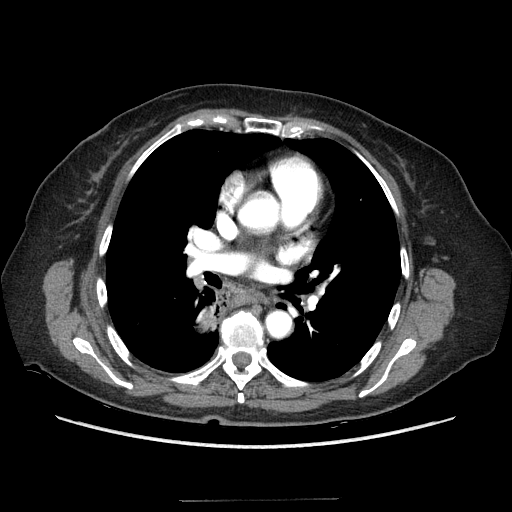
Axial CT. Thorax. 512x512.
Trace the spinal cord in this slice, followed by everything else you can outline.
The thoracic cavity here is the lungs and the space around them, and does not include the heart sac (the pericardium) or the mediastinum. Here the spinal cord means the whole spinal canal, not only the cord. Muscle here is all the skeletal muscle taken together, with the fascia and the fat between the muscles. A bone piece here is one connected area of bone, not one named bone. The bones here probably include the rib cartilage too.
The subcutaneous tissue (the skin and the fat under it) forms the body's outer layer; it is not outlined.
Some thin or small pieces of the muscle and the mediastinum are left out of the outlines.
The spinal cord is outlined by 239,352 244,352 245,353 246,353 247,354 248,354 250,356 250,362 248,364 247,364 243,368 239,368 238,367 237,367 237,366 234,363 234,362 233,361 233,356 235,354 236,354 237,353 238,353. The mediastinum appears in 3 outlined pieces: piece 1: 213,224 209,249 230,275 270,285 297,270 291,279 277,286 283,302 277,305 287,308 294,318 295,328 289,337 266,345 264,328 249,310 239,309 222,319 225,305 222,280 202,258 202,252 208,245 208,231; piece 2: 324,175 328,180 334,194 334,209 330,221 326,228 326,230 320,239 321,229 324,222 327,219 332,209 331,206 328,206 330,199 329,198 330,197 329,196 330,195 330,189 328,186 328,182 326,180 326,178; piece 3: 282,143 288,148 291,149 277,149 274,151 270,151 257,161 255,161 253,163 251,163 244,167 246,164 249,162 251,162 253,160 255,160 256,158 260,156 263,153 272,150 275,148 277,148 280,146. The muscle is outlined by 200,108 238,108 249,112 258,113 264,116 282,116 286,114 293,114 303,117 314,118 326,122 343,130 352,136 392,175 399,187 402,202 406,209 406,220 409,228 409,237 412,247 414,279 416,281 420,278 424,272 423,270 424,268 435,267 440,268 449,273 455,281 453,316 449,324 445,328 445,331 441,339 435,344 435,347 433,349 427,352 427,359 421,369 415,375 407,381 377,395 367,396 355,400 336,400 314,409 299,412 280,412 249,407 243,404 236,404 233,406 222,407 212,406 211,407 183,408 176,405 168,404 158,399 155,396 128,395 120,388 117,388 93,378 81,370 73,362 63,357 58,352 56,347 52,343 45,321 45,296 42,291 42,283 45,273 54,262 69,258 73,262 75,269 75,277 76,278 77,277 79,272 86,266 91,256 97,221 113,187 116,176 123,164 146,141 158,133 169,122 180,115, around holes outlined by 207,113 319,125 322,131 309,133 357,150 388,186 409,275 397,287 393,329 383,325 379,352 357,376 351,378 356,364 334,378 286,387 264,370 244,385 244,402 238,403 237,385 220,367 197,385 178,383 167,379 176,373 133,356 130,367 113,348 106,333 113,322 96,291 97,277 106,278 106,258 99,256 103,232 116,218 140,155 175,124 and by 76,336 88,341 91,345 93,351 98,357 111,369 113,373 120,379 124,381 128,381 130,382 133,385 133,388 132,389 129,389 126,387 117,384 108,375 90,354 82,353 79,351 76,348 72,341 73,338 and by 406,338 412,338 414,339 416,341 415,346 408,353 400,356 395,360 391,366 391,368 387,375 386,379 380,385 365,396 359,397 358,394 361,390 363,389 368,389 377,382 382,376 388,363 397,352 402,342. The pericardium is outlined by 277,150 297,151 315,164 327,182 329,189 327,206 331,209 322,224 319,239 309,262 291,274 266,284 240,279 230,274 228,268 212,253 210,248 212,247 212,231 218,209 219,194 227,176 234,170 245,168. The torso is outlined by 218,82 302,90 337,98 445,154 457,167 480,211 511,248 508,297 493,350 389,412 287,427 220,426 215,420 197,424 136,414 94,400 36,365 26,366 8,321 1,275 43,178 82,139 121,112 176,88. The thoracic cavity is outlined by 202,126 329,138 379,184 401,278 386,323 343,374 307,381 267,354 296,328 278,286 310,263 335,209 319,166 283,142 219,190 201,252 223,289 213,356 186,372 160,370 114,327 105,256 124,192 158,147. The bones appear in 11 outlined pieces: piece 1: 239,310 249,311 259,320 263,328 263,340 269,360 284,373 309,382 309,386 286,387 264,370 244,385 242,389 244,402 238,403 237,385 220,367 197,385 167,379 170,376 195,370 208,362 220,344 220,323; inner edge: 239,352 244,352 245,353 246,353 247,354 248,354 250,356 250,362 248,364 247,364 243,368 239,368 238,367 237,367 237,366 234,363 234,362 233,361 233,356 235,354 236,354 237,353 238,353; piece 2: 207,113 213,115 228,114 240,119 255,116 276,119 282,122 299,120 319,125 324,129 283,138 266,132 238,133 225,129 221,125 194,127 171,137 158,146 142,162 127,183 126,177 132,166 150,145 175,124; piece 3: 76,336 88,341 91,345 93,351 98,357 111,369 113,373 120,379 124,381 128,381 130,382 133,385 133,388 132,389 129,389 126,387 117,384 108,375 90,354 82,353 79,351 76,348 72,341 73,338; piece 4: 406,338 412,338 414,339 416,341 415,346 408,353 400,356 395,360 391,366 391,368 387,375 386,379 380,385 365,396 359,397 358,394 361,390 363,389 368,389 377,382 382,376 388,363 397,352 402,342; piece 5: 107,324 111,324 113,326 116,332 122,340 123,343 130,352 132,356 131,357 131,360 135,365 135,368 132,368 130,367 117,354 117,353 113,348 107,336 107,334 106,333 106,325; piece 6: 352,148 357,150 374,167 374,168 378,172 378,173 383,178 394,198 395,203 397,206 397,208 399,212 399,216 398,217 397,217 394,214 394,212 380,184 378,182 372,172 367,167 367,166 351,150; piece 7: 378,338 381,339 382,341 382,344 379,350 379,352 377,354 375,358 372,361 372,362 360,374 353,378 351,378 351,375 358,366 359,362 362,358 362,357 367,352 367,351 371,347 371,346 374,343 374,342; piece 8: 98,276 101,276 104,279 104,281 105,282 105,287 106,288 106,294 107,295 107,305 103,309 102,309 100,307 100,306 99,305 99,302 98,301 98,299 97,298 97,292 96,291 96,280 97,279 97,277; piece 9: 110,222 112,222 113,223 113,227 111,231 111,236 109,240 109,243 108,244 107,250 106,251 105,255 103,257 100,257 99,256 99,245 100,244 100,242 102,238 103,232 106,226; piece 10: 396,300 398,300 400,302 400,311 399,312 399,315 398,316 398,318 396,321 396,323 395,324 393,329 390,330 388,328 388,327 387,326 387,319 388,318 389,313 391,310 391,308 392,307 394,302; piece 11: 401,244 403,244 405,246 405,248 406,249 406,251 407,252 407,256 408,257 408,268 409,269 409,275 408,276 408,278 407,279 405,279 402,276 402,274 401,273 401,257 400,256 400,245.